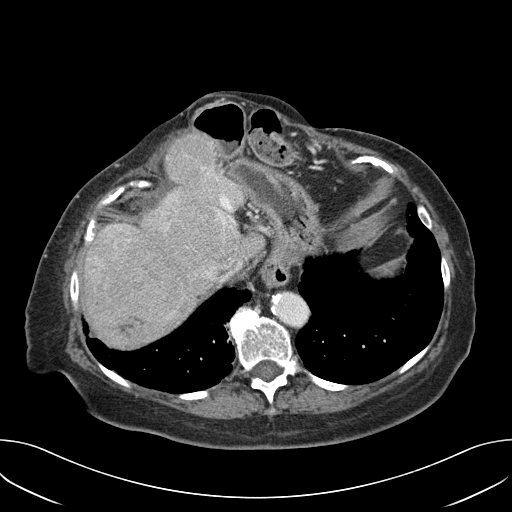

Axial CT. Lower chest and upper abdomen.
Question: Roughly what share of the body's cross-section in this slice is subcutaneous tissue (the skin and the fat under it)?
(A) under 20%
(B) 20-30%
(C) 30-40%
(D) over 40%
Answer: (B) 20-30%
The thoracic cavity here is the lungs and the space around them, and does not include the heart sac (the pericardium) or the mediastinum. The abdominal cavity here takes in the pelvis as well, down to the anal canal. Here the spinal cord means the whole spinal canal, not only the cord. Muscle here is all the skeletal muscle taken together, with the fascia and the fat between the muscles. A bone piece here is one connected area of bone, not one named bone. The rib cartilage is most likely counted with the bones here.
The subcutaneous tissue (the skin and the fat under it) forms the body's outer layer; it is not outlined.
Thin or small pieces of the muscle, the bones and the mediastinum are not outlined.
thoracic cavity 1: (410, 203) (416, 205) (416, 214) (431, 232) (440, 254) (442, 308) (431, 339) (395, 370) (373, 381) (348, 384) (314, 374) (304, 366) (292, 342) (311, 316) (298, 289) (306, 260) (355, 251) (359, 273) (378, 282) (394, 280) (404, 273) (407, 255) (414, 242) (406, 228)
thoracic cavity 2: (224, 288) (247, 290) (250, 296) (235, 310) (226, 324) (227, 333) (233, 340) (235, 348) (236, 357) (232, 370) (218, 383) (208, 388) (173, 393) (138, 384) (103, 364) (87, 345) (82, 328) (83, 320) (87, 324) (90, 337) (109, 349) (131, 352) (169, 335) (204, 302)
abdominal cavity: (225, 99) (271, 108) (350, 164) (397, 180) (414, 202) (405, 269) (371, 279) (358, 271) (355, 250) (308, 258) (301, 273) (273, 265) (239, 289) (218, 290) (169, 334) (131, 351) (109, 348) (80, 313) (94, 229) (114, 204) (161, 184) (163, 150) (199, 108)
bones 1: (241, 306) (249, 307) (260, 316) (284, 326) (290, 334) (294, 352) (310, 372) (348, 387) (328, 390) (312, 382) (304, 373) (290, 375) (288, 383) (275, 391) (275, 412) (270, 414) (270, 405) (263, 392) (251, 388) (250, 376) (238, 362) (234, 340) (228, 333) (227, 324) with a hole at (265, 360) (269, 360) (270, 361) (273, 361) (274, 362) (275, 362) (281, 368) (281, 371) (280, 372) (280, 373) (269, 381) (266, 381) (265, 380) (262, 379) (260, 377) (255, 376) (252, 373) (252, 370) (253, 369) (253, 368) (259, 362) (260, 362) (261, 361) (264, 361)
bones 2: (141, 179) (151, 181) (151, 186) (132, 189) (127, 188) (109, 204) (97, 210) (95, 217) (95, 227) (93, 229) (94, 234) (91, 241) (86, 246) (84, 244) (84, 235) (87, 225) (93, 212) (97, 207) (98, 202) (108, 193) (113, 192) (118, 186) (125, 184) (131, 180)
bones 3: (360, 155) (371, 155) (372, 156) (375, 156) (376, 157) (378, 157) (386, 161) (388, 163) (390, 163) (392, 164) (397, 169) (397, 170) (394, 174) (390, 174) (383, 169) (382, 169) (380, 167) (374, 167) (369, 163) (350, 163) (349, 161) (350, 159) (352, 158) (354, 158)
bones 4: (74, 269) (76, 269) (77, 270) (78, 272) (78, 278) (79, 279) (78, 307) (76, 309) (75, 309) (72, 305) (72, 302) (71, 301) (71, 298) (70, 297) (70, 290) (69, 289) (69, 286) (70, 285) (70, 279) (71, 278) (71, 274) (72, 273) (72, 271)
bones 5: (96, 360) (99, 361) (107, 368) (113, 370) (115, 372) (119, 374) (122, 377) (128, 380) (130, 383) (130, 387) (126, 387) (123, 385) (121, 385) (115, 382) (110, 378) (109, 378) (105, 374) (104, 374) (104, 373) (98, 366) (96, 362)
bones 6: (429, 343) (430, 344) (430, 346) (429, 348) (424, 354) (424, 355) (416, 363) (415, 363) (411, 367) (410, 367) (407, 370) (406, 370) (402, 373) (398, 373) (396, 372) (396, 370) (398, 368) (399, 368) (410, 358) (411, 358) (414, 355) (415, 355) (418, 352) (419, 352)
bones 7: (213, 386) (215, 386) (215, 387) (214, 388) (210, 389) (209, 390) (209, 394) (208, 396) (204, 398) (201, 398) (200, 399) (181, 399) (178, 397) (178, 394) (180, 393) (185, 393) (186, 392) (193, 392) (194, 391) (198, 391) (199, 390) (204, 390) (205, 389) (208, 389)
bones 8: (441, 255) (443, 255) (446, 260) (446, 262) (449, 269) (449, 276) (450, 277) (450, 283) (449, 284) (449, 286) (448, 288) (445, 290) (444, 290) (444, 288) (443, 287) (443, 280) (442, 279) (442, 275) (441, 274) (441, 266) (440, 265) (440, 263) (441, 262)
bones 9: (419, 204) (421, 204) (424, 206) (424, 207) (426, 209) (426, 210) (428, 212) (428, 213) (430, 216) (430, 218) (431, 219) (431, 222) (432, 223) (432, 228) (431, 229) (431, 230) (428, 229) (423, 224) (423, 223) (420, 220) (420, 219) (417, 214) (417, 205) (418, 205)
spinal cord: (265, 360) (269, 360) (270, 361) (273, 361) (274, 362) (275, 362) (281, 368) (281, 371) (280, 372) (280, 373) (269, 381) (266, 381) (265, 380) (262, 379) (260, 377) (255, 376) (252, 373) (252, 370) (253, 369) (253, 368) (259, 362) (260, 362) (261, 361) (264, 361)
torso: (223, 89) (278, 97) (318, 128) (345, 127) (393, 140) (421, 157) (456, 202) (475, 260) (475, 331) (469, 353) (447, 389) (413, 417) (328, 445) (207, 448) (106, 423) (85, 410) (63, 375) (35, 375) (28, 370) (25, 307) (40, 256) (70, 199) (154, 127) (198, 97)
muscle 1: (221, 95) (239, 96) (275, 109) (224, 97) (199, 107) (186, 127) (159, 154) (157, 168) (161, 183) (153, 185) (151, 180) (141, 178) (118, 185) (97, 202) (86, 225) (83, 244) (87, 247) (79, 277) (76, 268) (71, 271) (68, 289) (72, 307) (76, 310) (79, 306) (86, 345) (103, 374) (126, 388) (131, 387) (130, 381) (177, 394) (181, 400) (200, 400) (208, 397) (210, 390) (232, 372) (236, 358) (249, 376) (250, 388) (262, 392) (269, 405) (267, 412) (273, 415) (275, 393) (289, 383) (290, 376) (301, 373) (320, 388) (342, 391) (349, 385) (373, 382) (394, 371) (402, 374) (430, 348) (451, 277) (447, 260) (431, 231) (429, 212) (423, 204) (416, 204) (391, 175) (398, 170) (392, 163) (371, 154) (344, 157) (339, 149) (322, 143) (278, 111) (293, 121) (370, 148) (397, 162) (423, 191) (445, 227) (455, 276) (446, 338) (440, 360) (431, 371) (430, 365) (392, 389) (339, 412) (272, 416) (255, 413) (252, 417) (225, 420) (136, 398) (70, 359) (65, 352) (69, 316) (62, 298) (63, 265) (72, 234) (89, 204) (118, 176) (145, 162) (164, 136) (185, 122) (188, 115)
muscle 2: (127, 189) (131, 189) (132, 190) (133, 189) (143, 189) (142, 189) (139, 193) (137, 193) (135, 195) (130, 196) (117, 203) (114, 203) (111, 207) (107, 210) (103, 217) (97, 222) (96, 225) (96, 222) (97, 221) (96, 217) (98, 210) (105, 206) (109, 205) (118, 198)
mediastinum: (273, 266) (282, 268) (286, 272) (296, 270) (301, 274) (297, 289) (309, 308) (310, 316) (292, 341) (291, 334) (284, 325) (271, 317) (260, 315) (249, 306) (242, 305) (250, 298) (251, 294) (247, 289) (240, 288) (256, 273) (263, 272) (266, 268) (269, 269)